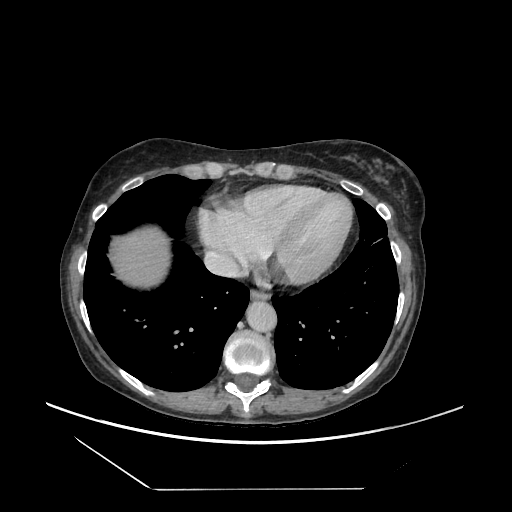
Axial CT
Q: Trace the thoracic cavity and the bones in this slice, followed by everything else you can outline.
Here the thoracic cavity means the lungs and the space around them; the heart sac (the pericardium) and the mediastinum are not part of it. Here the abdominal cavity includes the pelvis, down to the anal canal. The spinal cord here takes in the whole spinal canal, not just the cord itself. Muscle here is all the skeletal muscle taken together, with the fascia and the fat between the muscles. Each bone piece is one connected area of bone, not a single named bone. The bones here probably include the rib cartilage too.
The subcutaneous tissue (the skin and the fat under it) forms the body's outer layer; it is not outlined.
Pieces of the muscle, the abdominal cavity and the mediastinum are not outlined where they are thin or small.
A: The thoracic cavity appears in 2 outlined pieces: piece 1: (165, 174) (178, 174) (190, 179) (210, 179) (209, 186) (187, 213) (182, 239) (212, 274) (234, 279) (249, 291) (243, 314) (224, 344) (222, 365) (216, 376) (198, 388) (185, 391) (169, 391) (147, 385) (119, 366) (98, 341) (83, 297) (88, 246) (96, 222) (123, 193); inner edge: (147, 222) (158, 224) (173, 238) (173, 244) (172, 245) (173, 262) (169, 276) (163, 284) (156, 289) (154, 289) (151, 291) (137, 291) (134, 289) (126, 287) (111, 274) (112, 270) (108, 258) (106, 255) (106, 252) (110, 240) (110, 236) (113, 234) (121, 234) (140, 224); piece 2: (353, 198) (360, 198) (367, 202) (386, 224) (399, 289) (393, 325) (379, 355) (352, 381) (328, 389) (294, 387) (280, 378) (275, 367) (274, 334) (278, 316) (272, 303) (272, 297) (275, 294) (291, 296) (303, 291) (337, 269) (347, 258) (358, 241) (360, 232). The bones appear in 13 outlined pieces: piece 1: (241, 330) (249, 330) (265, 338) (273, 345) (275, 354) (273, 368) (267, 375) (271, 384) (266, 392) (256, 396) (249, 403) (248, 414) (244, 412) (243, 403) (240, 398) (224, 388) (224, 385) (230, 378) (230, 374) (225, 369) (222, 363) (223, 350) (229, 336) (233, 332); inner edge: (241, 373) (250, 373) (251, 374) (254, 374) (259, 377) (259, 381) (255, 385) (255, 386) (254, 386) (252, 388) (252, 389) (251, 389) (249, 391) (243, 391) (238, 387) (238, 386) (235, 383) (234, 381) (234, 377) (235, 375) (237, 375); piece 2: (271, 161) (276, 162) (278, 164) (287, 164) (292, 166) (295, 170) (295, 177) (290, 179) (278, 179) (273, 177) (262, 177) (256, 174) (248, 175) (242, 172) (233, 175) (229, 174) (229, 172) (231, 170) (236, 169) (243, 169) (251, 172) (256, 164) (260, 162) (270, 162); piece 3: (212, 161) (217, 162) (221, 164) (225, 169) (222, 176) (220, 177) (217, 177) (216, 178) (209, 178) (208, 177) (205, 177) (204, 178) (190, 178) (184, 175) (182, 175) (182, 169) (183, 167) (185, 166) (195, 165) (196, 164) (204, 165) (206, 163) (211, 162); piece 4: (378, 357) (380, 358) (380, 361) (377, 367) (360, 384) (359, 384) (355, 388) (354, 388) (351, 391) (347, 393) (343, 393) (342, 392) (342, 389) (349, 386) (351, 382) (352, 382) (353, 380) (358, 375) (359, 375) (364, 370) (365, 370); piece 5: (118, 366) (131, 375) (132, 375) (134, 377) (135, 377) (137, 379) (138, 379) (141, 382) (142, 382) (148, 388) (153, 391) (155, 393) (155, 394) (153, 396) (146, 396) (143, 393) (142, 393) (138, 389) (137, 389) (129, 382) (128, 382) (119, 373) (117, 369); piece 6: (342, 178) (345, 178) (346, 179) (348, 179) (352, 182) (355, 183) (357, 185) (360, 186) (363, 189) (363, 191) (364, 192) (363, 194) (361, 196) (358, 196) (344, 189) (339, 184) (339, 180); piece 7: (82, 297) (83, 298) (83, 300) (84, 301) (84, 303) (87, 310) (87, 314) (89, 318) (90, 326) (92, 329) (92, 331) (94, 335) (91, 335) (90, 334) (90, 333) (86, 328) (86, 326) (81, 316) (81, 313) (80, 312) (80, 309) (79, 308) (79, 300); piece 8: (138, 175) (141, 175) (143, 176) (144, 178) (144, 181) (138, 186) (132, 189) (130, 189) (124, 192) (122, 192) (121, 190) (121, 188) (122, 186) (128, 180); piece 9: (380, 201) (383, 202) (386, 205) (386, 206) (388, 208) (388, 209) (390, 212) (391, 217) (390, 218) (390, 219) (387, 221) (385, 221) (380, 216) (380, 215) (377, 212) (377, 211) (375, 209) (375, 208) (374, 207) (375, 206) (375, 205) (378, 202) (379, 202); piece 10: (400, 290) (402, 290) (404, 292) (404, 302) (403, 303) (403, 307) (402, 308) (402, 310) (401, 311) (399, 319) (397, 323) (395, 325) (394, 325) (394, 320) (395, 319) (395, 315) (396, 314) (396, 309) (397, 308) (397, 301) (398, 300) (398, 296) (399, 295) (399, 291); piece 11: (102, 202) (104, 202) (105, 203) (106, 203) (107, 204) (108, 207) (107, 208) (107, 209) (105, 211) (105, 212) (95, 222) (92, 220) (92, 218) (91, 217) (91, 215) (92, 214) (92, 212) (93, 211) (93, 210) (95, 208) (95, 207) (98, 204) (99, 204); piece 12: (85, 249) (87, 249) (87, 257) (86, 258) (86, 261) (85, 262) (85, 270) (84, 271) (84, 274) (83, 275) (83, 277) (81, 277) (81, 276) (78, 271) (78, 269) (77, 268) (77, 261) (78, 260) (78, 258) (79, 257) (80, 254) (83, 251) (83, 250) (84, 250); piece 13: (390, 240) (393, 240) (395, 241) (398, 244) (399, 246) (399, 248) (400, 249) (400, 251) (401, 252) (401, 260) (400, 261) (400, 263) (399, 265) (397, 267) (396, 265) (396, 263) (395, 262) (395, 260) (392, 254) (392, 251) (391, 250) (391, 246) (390, 245). The abdominal cavity is outlined by (147, 222) (158, 224) (173, 238) (173, 244) (172, 245) (173, 262) (169, 276) (163, 284) (156, 289) (154, 289) (151, 291) (137, 291) (134, 289) (126, 287) (111, 274) (112, 270) (108, 258) (106, 255) (106, 252) (110, 240) (110, 236) (113, 234) (121, 234) (140, 224). The pericardium is outlined by (248, 178) (313, 180) (332, 185) (345, 193) (354, 208) (359, 232) (358, 239) (352, 250) (340, 265) (304, 289) (272, 291) (260, 288) (245, 279) (242, 275) (239, 263) (233, 257) (205, 250) (201, 246) (198, 238) (194, 219) (199, 205) (208, 194) (219, 187) (236, 180). The muscle appears in 5 outlined pieces: piece 1: (384, 202) (393, 209) (398, 227) (411, 250) (416, 283) (415, 307) (409, 327) (388, 364) (366, 386) (341, 403) (313, 412) (285, 415) (266, 412) (247, 418) (234, 415) (228, 411) (217, 414) (196, 414) (174, 410) (141, 396) (106, 369) (83, 340) (71, 313) (67, 289) (68, 266) (73, 245) (83, 230) (91, 209) (96, 205) (90, 215) (91, 220) (95, 223) (87, 248) (82, 250) (76, 261) (77, 271) (80, 277) (83, 278) (83, 296) (78, 300) (78, 308) (85, 328) (91, 336) (95, 336) (107, 355) (117, 365) (118, 373) (142, 394) (146, 397) (153, 397) (156, 394) (147, 386) (169, 392) (185, 392) (198, 389) (214, 379) (222, 366) (229, 374) (229, 378) (223, 388) (239, 398) (242, 403) (242, 410) (246, 415) (250, 412) (250, 403) (256, 397) (269, 390) (272, 383) (268, 375) (274, 366) (279, 378) (294, 388) (328, 390) (350, 383) (341, 389) (343, 394) (347, 394) (360, 385) (380, 364) (381, 358) (379, 356) (393, 326) (400, 319) (405, 302) (405, 292) (399, 288) (397, 273) (397, 268) (402, 260) (402, 252) (399, 244) (388, 237) (386, 222) (391, 219) (392, 215); piece 2: (288, 164) (321, 168) (338, 173) (358, 182) (383, 201) (380, 200) (374, 206) (371, 205) (362, 198) (365, 192) (364, 189) (360, 185) (348, 178) (345, 177) (340, 178) (338, 180) (338, 184) (329, 179) (326, 179) (313, 174) (299, 174) (296, 176) (295, 168) (292, 165); piece 3: (204, 160) (211, 161) (208, 161) (204, 164) (196, 163) (195, 164) (189, 164) (183, 166) (181, 169) (181, 174) (178, 173) (165, 173) (146, 180) (145, 180) (143, 175) (138, 174) (155, 168) (165, 167) (166, 166) (175, 166) (176, 165) (194, 163) (195, 162) (197, 163); piece 4: (218, 162) (231, 162) (232, 163) (236, 163) (241, 166) (243, 166) (246, 164) (249, 164) (252, 162) (259, 162) (256, 163) (254, 165) (251, 171) (246, 170) (243, 168) (236, 168) (235, 169) (231, 169) (228, 172) (228, 174) (225, 175) (223, 175) (226, 169) (221, 163); piece 5: (124, 182) (125, 182) (121, 186) (121, 187) (120, 188) (120, 190) (122, 193) (115, 200) (115, 201) (114, 201) (113, 202) (113, 203) (112, 203) (109, 206) (106, 202) (103, 201) (104, 200) (105, 200) (111, 194) (112, 194) (115, 191) (115, 190) (121, 184) (122, 184). The mediastinum appears in 2 outlined pieces: piece 1: (226, 175) (273, 178) (236, 179) (208, 193) (194, 213) (197, 238) (205, 251) (233, 258) (242, 277) (260, 289) (303, 290) (272, 295) (277, 316) (273, 344) (252, 330) (234, 331) (248, 305) (249, 288) (234, 278) (212, 273) (183, 239) (192, 206) (210, 186) (211, 179); piece 2: (299, 175) (313, 175) (320, 178) (323, 178) (326, 180) (329, 180) (331, 182) (339, 185) (344, 190) (349, 193) (358, 197) (361, 197) (361, 198) (360, 197) (353, 197) (351, 200) (346, 193) (342, 191) (341, 189) (324, 181) (317, 181) (313, 179) (291, 179) (295, 178). The torso is outlined by (154, 137) (227, 149) (356, 139) (385, 149) (409, 166) (425, 197) (421, 227) (424, 295) (403, 362) (395, 376) (375, 395) (316, 420) (231, 425) (189, 421) (154, 412) (114, 392) (91, 375) (78, 355) (62, 311) (59, 286) (62, 250) (87, 186) (98, 168) (118, 151). The spinal cord is outlined by (241, 373) (250, 373) (251, 374) (254, 374) (259, 377) (259, 381) (255, 385) (255, 386) (254, 386) (252, 388) (252, 389) (251, 389) (249, 391) (243, 391) (238, 387) (238, 386) (235, 383) (234, 381) (234, 377) (235, 375) (237, 375).